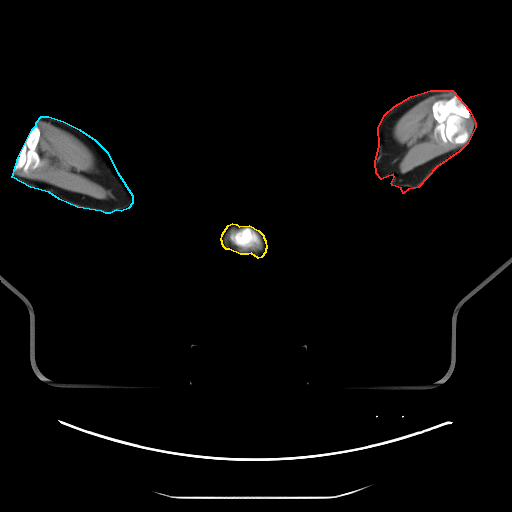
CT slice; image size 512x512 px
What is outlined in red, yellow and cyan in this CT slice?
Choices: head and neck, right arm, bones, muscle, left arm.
red: left arm; yellow: head and neck; cyan: right arm.
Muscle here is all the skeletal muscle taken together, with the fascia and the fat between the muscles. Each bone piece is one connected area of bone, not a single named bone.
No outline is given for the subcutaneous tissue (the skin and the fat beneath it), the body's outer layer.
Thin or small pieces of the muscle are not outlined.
Outlines (x, y in pixels):
left arm: 430 90; 452 90; 469 110; 475 122; 475 127; 467 143; 459 151; 436 167; 418 187; 408 189; 403 193; 401 188; 392 185; 391 183; 394 177; 393 174; 381 179; 376 173; 375 162; 379 145; 378 127; 385 114; 394 106; 411 96
head and neck: 232 223; 236 224; 239 226; 249 225; 258 230; 263 235; 263 237; 265 240; 266 248; 265 249; 265 252; 261 257; 258 258; 251 253; 248 254; 240 254; 229 249; 226 249; 224 247; 222 244; 222 241; 221 240; 222 234; 228 225
right arm: 41 116; 48 116; 63 121; 79 129; 95 140; 106 151; 117 172; 132 195; 132 203; 128 208; 121 211; 116 210; 110 213; 105 213; 101 211; 77 207; 59 199; 49 192; 30 187; 12 177; 18 157; 32 129; 36 125; 36 122
bones 1: 455 94; 463 102; 469 110; 471 115; 471 117; 465 121; 465 126; 466 129; 470 132; 470 137; 468 141; 464 144; 459 144; 449 141; 444 142; 439 137; 435 138; 433 135; 434 128; 437 124; 432 112; 433 103; 438 100; 449 99
bones 2: 34 126; 37 126; 40 132; 39 140; 35 149; 37 153; 39 155; 42 161; 42 163; 41 165; 34 169; 31 169; 29 168; 27 170; 27 171; 24 171; 21 168; 19 168; 16 170; 14 170; 14 168; 17 162; 18 157
bones 3: 243 225; 249 225; 255 228; 255 229; 257 230; 258 232; 259 232; 262 239; 262 243; 260 245; 258 246; 255 246; 248 249; 242 249; 232 243; 232 242; 229 239; 229 234; 232 231; 235 230; 238 227; 242 226
muscle 1: 41 121; 49 122; 71 133; 91 150; 95 156; 98 170; 98 173; 94 174; 93 177; 110 189; 115 198; 96 199; 16 174; 15 171; 19 169; 27 172; 29 169; 34 170; 38 168; 43 163; 36 149; 41 136; 40 129; 37 125
muscle 2: 442 93; 453 95; 449 98; 438 99; 432 103; 431 112; 436 122; 432 135; 435 139; 439 138; 444 143; 449 142; 459 145; 411 172; 399 172; 394 165; 394 160; 398 154; 398 145; 392 136; 392 128; 395 122; 418 102; 429 96
muscle 3: 232 227; 237 227; 228 234; 228 239; 236 247; 242 250; 248 250; 260 246; 263 243; 263 241; 263 249; 257 253; 252 253; 251 252; 242 253; 239 251; 237 251; 233 247; 230 247; 226 245; 224 243; 224 236; 226 232